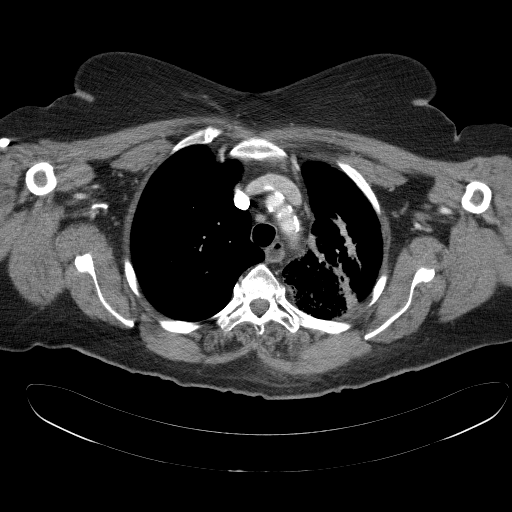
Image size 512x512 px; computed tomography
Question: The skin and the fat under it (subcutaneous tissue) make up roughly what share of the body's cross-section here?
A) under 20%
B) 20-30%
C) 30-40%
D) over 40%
Answer: C) 30-40%
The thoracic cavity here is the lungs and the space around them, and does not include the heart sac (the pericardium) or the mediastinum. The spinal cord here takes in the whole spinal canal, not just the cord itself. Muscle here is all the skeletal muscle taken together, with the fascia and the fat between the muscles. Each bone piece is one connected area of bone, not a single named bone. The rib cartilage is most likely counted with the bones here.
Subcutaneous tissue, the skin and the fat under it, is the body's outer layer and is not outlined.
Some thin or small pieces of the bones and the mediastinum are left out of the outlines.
thoracic cavity 1: [[192,145],[208,145],[221,163],[227,158],[242,163],[241,175],[233,187],[232,202],[239,210],[249,213],[251,218],[249,241],[264,255],[261,262],[238,277],[228,302],[201,321],[174,319],[156,309],[140,289],[130,253],[132,221],[148,180],[169,156]]
thoracic cavity 2: [[308,158],[325,162],[342,171],[367,199],[380,223],[383,255],[379,275],[369,296],[357,309],[338,319],[319,318],[297,307],[287,298],[287,289],[283,282],[283,270],[292,261],[299,262],[315,245],[316,238],[312,233],[315,217],[301,171],[302,164]]
muscle: [[206,114],[227,115],[258,129],[290,122],[331,127],[374,137],[439,160],[462,161],[496,154],[511,157],[511,287],[499,287],[479,306],[451,321],[425,321],[416,332],[386,344],[379,355],[356,358],[335,370],[298,378],[269,372],[253,352],[215,365],[165,358],[147,349],[135,330],[90,318],[67,295],[42,309],[32,305],[20,296],[6,266],[0,263],[0,143],[11,138],[22,142],[40,138],[72,141],[150,121]] with holes at [[208,125],[222,130],[208,144],[217,155],[223,146],[226,153],[241,140],[261,136],[289,154],[336,168],[340,159],[369,184],[381,212],[379,274],[386,272],[387,280],[373,304],[367,306],[369,296],[337,320],[351,323],[349,329],[334,334],[300,326],[292,333],[270,320],[259,335],[246,321],[225,333],[207,318],[189,333],[172,332],[157,321],[166,316],[133,292],[123,259],[131,259],[130,230],[140,196],[172,148]] and at [[105,171],[119,171],[131,174],[136,174],[140,178],[140,181],[138,185],[131,193],[122,210],[119,218],[117,234],[115,239],[112,239],[105,236],[102,230],[93,222],[90,216],[90,212],[88,206],[84,199],[84,194],[91,183],[96,181],[101,174]] and at [[412,180],[419,180],[423,184],[425,184],[426,198],[425,199],[425,204],[420,217],[417,232],[413,240],[407,246],[403,247],[400,245],[398,246],[396,242],[396,237],[394,233],[391,217],[383,203],[381,194],[382,192],[393,193],[397,188],[409,183]] and at [[40,161],[46,161],[50,163],[53,166],[54,174],[56,177],[56,180],[57,181],[57,183],[55,187],[50,192],[44,195],[36,195],[32,193],[27,188],[25,184],[25,182],[24,181],[25,172],[28,169],[28,168],[29,168],[35,163],[39,162]] and at [[472,180],[478,180],[479,181],[481,181],[485,183],[490,188],[491,192],[492,193],[490,205],[487,208],[487,209],[486,209],[481,213],[472,213],[464,209],[461,205],[461,198],[462,197],[462,195],[465,191],[465,187],[466,185],[470,181]] and at [[87,252],[91,254],[93,260],[93,265],[96,275],[96,279],[103,297],[117,312],[125,318],[133,319],[134,325],[132,327],[127,327],[124,325],[102,305],[98,297],[92,277],[86,272],[79,272],[77,270],[74,264],[74,259],[76,255],[80,255]] and at [[422,266],[434,269],[435,273],[433,278],[428,282],[420,282],[418,283],[414,288],[411,298],[411,302],[407,309],[385,329],[371,338],[365,339],[364,335],[366,333],[378,327],[404,305],[409,295],[409,291],[414,274],[418,268]]
right arm: [[57,97],[60,99],[61,103],[64,106],[68,116],[70,123],[70,129],[72,134],[73,200],[66,215],[66,218],[63,222],[58,234],[52,251],[37,276],[32,280],[17,283],[0,291],[0,117],[8,112],[24,105],[30,104],[40,106],[47,105]]
left arm: [[486,122],[499,122],[511,126],[511,321],[500,312],[493,305],[493,303],[473,283],[461,265],[460,258],[456,254],[454,249],[450,225],[445,208],[444,162],[447,151],[450,147],[452,141],[455,138],[456,133],[459,132],[463,127],[473,123],[479,124]]
spinal cord: [[256,299],[262,299],[263,300],[265,300],[266,301],[267,301],[267,302],[268,303],[268,306],[267,307],[267,309],[262,314],[261,314],[260,315],[258,315],[257,314],[254,313],[253,312],[253,311],[251,309],[251,303],[252,302],[252,301],[253,301]]
mediastinum: [[296,154],[307,157],[300,171],[314,217],[311,233],[315,238],[313,249],[309,249],[299,261],[292,260],[282,270],[282,282],[262,262],[264,252],[250,241],[251,215],[234,205],[233,192],[242,175],[243,164],[251,160],[283,162],[289,158],[297,170]]
torso: [[111,50],[159,58],[246,91],[372,53],[421,61],[437,84],[430,103],[456,126],[443,162],[453,249],[472,283],[511,322],[511,341],[297,399],[182,386],[67,347],[1,350],[0,292],[38,276],[74,200],[73,134],[59,97],[74,90],[86,58]]
bones 1: [[259,263],[264,263],[284,284],[286,298],[297,308],[319,319],[347,321],[351,323],[351,327],[334,334],[300,326],[292,333],[282,324],[270,320],[264,324],[263,332],[257,335],[255,327],[250,322],[244,321],[225,333],[208,318],[229,302],[239,277]], around a hole outlined by [[256,299],[262,299],[263,300],[265,300],[266,301],[267,301],[267,302],[268,303],[268,306],[267,307],[267,309],[262,314],[261,314],[260,315],[258,315],[257,314],[254,313],[253,312],[253,311],[251,309],[251,303],[252,302],[252,301],[253,301]]
bones 2: [[250,136],[264,137],[278,145],[290,155],[294,154],[298,168],[297,169],[294,168],[289,157],[283,161],[251,159],[243,163],[237,159],[228,157],[223,162],[219,161],[217,155],[220,148],[224,146],[226,153],[241,140],[246,139]]
bones 3: [[40,161],[46,161],[50,163],[53,166],[54,174],[56,177],[56,180],[57,181],[57,183],[55,187],[50,192],[44,195],[36,195],[32,193],[27,188],[25,184],[25,182],[24,181],[25,172],[28,169],[28,168],[29,168],[35,163],[39,162]]
bones 4: [[472,180],[478,180],[479,181],[481,181],[485,183],[490,188],[491,192],[492,193],[490,205],[487,208],[487,209],[486,209],[481,213],[472,213],[464,209],[461,205],[461,198],[462,197],[462,195],[465,191],[465,187],[466,185],[470,181]]
bones 5: [[87,252],[91,254],[93,260],[93,265],[96,275],[96,279],[103,297],[117,312],[125,318],[133,319],[134,325],[132,327],[127,327],[124,325],[102,305],[98,297],[92,277],[86,272],[79,272],[77,270],[74,264],[74,259],[76,255],[80,255]]
bones 6: [[422,266],[434,269],[435,273],[433,278],[428,282],[420,282],[418,283],[414,288],[411,298],[411,302],[407,309],[385,329],[371,338],[365,339],[364,335],[366,333],[378,327],[404,305],[409,295],[409,291],[414,274],[418,268]]
bones 7: [[335,159],[340,159],[342,161],[348,163],[351,166],[355,168],[362,175],[365,180],[369,184],[373,192],[375,194],[377,198],[377,200],[379,203],[380,211],[381,212],[381,222],[380,222],[372,205],[368,199],[364,195],[356,184],[338,167],[336,164]]
bones 8: [[208,125],[211,125],[212,126],[220,128],[222,130],[221,134],[216,137],[210,143],[208,144],[192,144],[191,145],[183,147],[179,149],[174,153],[169,155],[169,153],[172,148],[180,140],[181,140],[184,137],[195,132],[197,130],[201,129]]
bones 9: [[158,317],[167,317],[168,318],[170,318],[174,320],[180,320],[181,321],[189,321],[190,322],[200,321],[200,322],[202,324],[202,326],[200,328],[198,328],[189,333],[178,333],[177,332],[172,332],[171,331],[165,330],[160,326],[157,321],[157,318]]
bones 10: [[124,257],[127,257],[131,262],[132,267],[134,270],[134,272],[135,273],[135,275],[136,276],[136,278],[139,285],[139,289],[142,294],[142,295],[140,297],[138,297],[133,292],[133,291],[129,286],[129,284],[124,275],[124,270],[123,269],[123,259]]
bones 11: [[384,272],[386,272],[387,273],[387,280],[386,281],[385,286],[383,290],[381,292],[380,295],[376,300],[376,301],[373,304],[372,304],[368,307],[367,306],[367,303],[370,299],[370,294],[372,291],[372,289],[378,277],[382,273]]